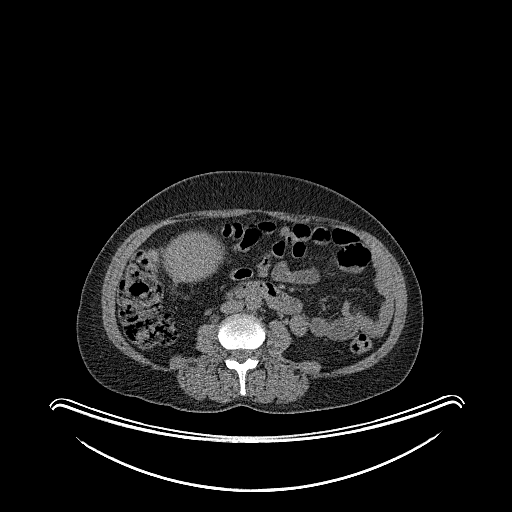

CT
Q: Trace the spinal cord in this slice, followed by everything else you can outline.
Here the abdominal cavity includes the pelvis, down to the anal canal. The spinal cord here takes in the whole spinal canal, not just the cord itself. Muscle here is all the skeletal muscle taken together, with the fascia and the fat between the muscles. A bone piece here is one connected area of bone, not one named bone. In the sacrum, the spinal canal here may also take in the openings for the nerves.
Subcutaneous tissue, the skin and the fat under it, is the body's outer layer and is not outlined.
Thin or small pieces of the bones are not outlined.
A: Outlined structures:
spinal cord: [[238,349],[245,349],[246,350],[249,350],[250,351],[251,351],[251,357],[249,357],[248,358],[247,358],[243,362],[239,362],[238,361],[237,361],[236,360],[235,360],[234,359],[233,359],[231,357],[231,352],[233,350],[237,350]]
bones: [[243,313],[254,315],[265,328],[265,339],[257,349],[258,363],[254,368],[249,369],[246,372],[245,395],[240,394],[240,383],[237,372],[234,369],[228,368],[225,364],[224,360],[228,352],[221,345],[217,337],[219,325],[228,316],[233,314]] with a hole at [[238,349],[245,349],[246,350],[249,350],[250,351],[251,351],[251,357],[249,357],[248,358],[247,358],[243,362],[239,362],[238,361],[237,361],[236,360],[235,360],[234,359],[233,359],[231,357],[231,352],[233,350],[237,350]]
abdominal cavity: [[253,213],[340,226],[375,251],[390,273],[393,318],[374,351],[322,370],[315,360],[284,356],[292,338],[282,321],[265,327],[245,312],[219,324],[202,323],[195,337],[199,354],[173,355],[167,365],[126,340],[116,319],[116,289],[136,249],[170,224]]
torso: [[217,170],[273,172],[319,183],[353,200],[386,227],[414,270],[423,304],[419,350],[411,370],[399,385],[351,405],[312,412],[272,414],[236,406],[199,413],[114,392],[91,376],[77,345],[76,314],[82,286],[97,254],[123,220],[152,195],[183,178]]
muscle: [[233,208],[247,208],[248,209],[257,209],[260,208],[265,210],[283,211],[293,214],[317,215],[323,217],[333,218],[343,221],[352,226],[354,226],[357,229],[361,229],[364,231],[366,231],[376,237],[393,255],[399,264],[404,277],[405,285],[406,286],[406,291],[407,292],[407,311],[406,312],[406,317],[405,318],[404,326],[396,343],[391,350],[377,363],[367,369],[343,376],[318,379],[310,385],[308,390],[301,398],[293,402],[290,402],[285,404],[278,404],[277,405],[272,405],[269,403],[255,402],[245,397],[239,397],[238,398],[235,398],[231,401],[228,401],[224,403],[218,403],[217,404],[202,403],[186,395],[179,387],[176,378],[171,373],[166,373],[157,370],[152,370],[147,366],[144,366],[128,357],[119,350],[108,338],[103,326],[103,322],[101,316],[102,315],[101,290],[102,289],[103,280],[107,268],[111,261],[113,255],[121,243],[136,229],[148,225],[151,223],[157,222],[160,220],[165,219],[170,216],[179,213],[183,213],[188,211],[194,211],[195,210],[203,210],[204,209],[232,209]] with a hole at [[253,213],[340,226],[375,251],[390,273],[393,318],[374,351],[322,370],[315,360],[284,356],[292,338],[284,323],[273,319],[241,395],[214,322],[196,330],[198,355],[176,354],[167,365],[126,340],[116,319],[116,289],[136,249],[170,224]]